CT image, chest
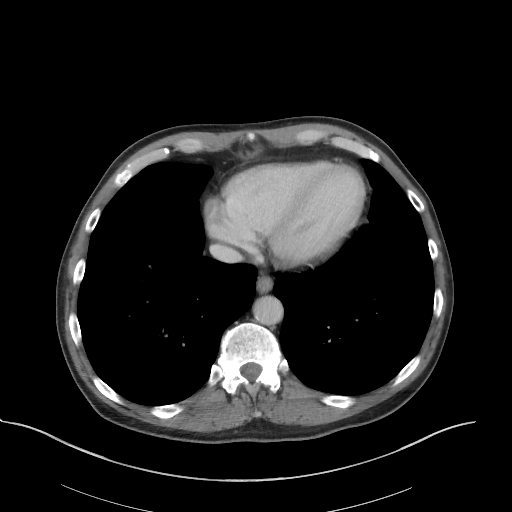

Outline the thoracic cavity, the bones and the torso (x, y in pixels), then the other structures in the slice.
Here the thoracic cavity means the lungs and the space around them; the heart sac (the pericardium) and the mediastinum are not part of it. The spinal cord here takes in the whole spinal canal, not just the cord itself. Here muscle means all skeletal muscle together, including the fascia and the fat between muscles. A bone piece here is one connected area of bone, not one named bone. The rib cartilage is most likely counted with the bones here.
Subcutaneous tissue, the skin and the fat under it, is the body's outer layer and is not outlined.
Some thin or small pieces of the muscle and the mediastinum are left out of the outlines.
{"thoracic_cavity":[[[161,161],[201,164],[211,168],[211,176],[198,197],[204,231],[201,255],[225,264],[251,265],[256,269],[256,277],[252,301],[224,330],[206,383],[179,402],[146,405],[121,396],[96,373],[83,345],[77,304],[91,234],[102,212],[131,178],[145,167]],[[364,159],[382,166],[419,214],[432,262],[432,315],[417,353],[389,381],[358,395],[326,393],[305,385],[293,373],[283,354],[278,338],[285,310],[282,301],[273,291],[277,280],[275,275],[299,273],[322,264],[358,229],[368,223],[373,188],[363,164]]],"bones":[{"outer":[[243,322],[255,323],[266,328],[278,340],[290,370],[280,374],[280,386],[276,392],[272,392],[267,385],[261,383],[248,388],[241,383],[236,388],[235,393],[230,394],[218,382],[212,386],[207,384],[211,366],[219,354],[223,334],[228,329]],"hole":[[250,362],[252,362],[253,363],[255,363],[256,364],[258,364],[261,367],[261,370],[260,371],[259,374],[252,381],[251,381],[250,380],[249,380],[247,378],[246,378],[241,373],[241,372],[240,371],[240,368],[243,365],[244,365],[247,363],[249,363]]},[[163,147],[168,147],[170,149],[170,153],[167,158],[160,161],[151,163],[145,166],[131,177],[128,181],[120,188],[118,188],[114,184],[114,178],[116,174],[121,172],[126,167],[129,162],[131,162],[136,158],[148,152],[150,152],[152,150],[162,148]],[[333,136],[340,136],[345,138],[349,138],[357,142],[359,142],[367,147],[371,148],[374,151],[378,153],[380,157],[379,162],[378,163],[368,158],[361,157],[359,155],[353,152],[351,152],[345,149],[342,149],[332,145],[331,144],[330,139],[331,137]],[[307,129],[317,129],[318,130],[323,130],[327,132],[327,136],[325,138],[323,138],[319,141],[314,142],[311,144],[308,144],[307,145],[300,144],[299,142],[295,138],[296,136],[296,134],[300,131],[302,131],[303,130],[306,130]],[[172,403],[178,403],[181,406],[183,407],[183,409],[182,411],[181,411],[179,413],[169,418],[160,418],[159,417],[157,417],[153,415],[150,412],[150,409],[152,407],[152,406],[155,406],[156,405],[165,405],[166,404],[171,404]],[[326,394],[334,394],[335,395],[348,395],[349,396],[352,396],[354,398],[354,400],[355,401],[353,404],[352,404],[350,406],[349,406],[346,408],[341,408],[340,407],[336,407],[335,406],[328,405],[321,401],[321,399],[322,398],[322,397]],[[183,138],[196,138],[197,139],[199,139],[201,140],[202,142],[202,144],[203,145],[203,147],[199,151],[197,151],[193,153],[185,153],[184,152],[182,152],[181,151],[176,150],[174,147],[174,144],[175,142]],[[94,375],[97,375],[111,388],[112,388],[121,397],[121,398],[122,399],[122,403],[121,404],[120,404],[119,403],[117,403],[116,402],[113,401],[111,399],[106,397],[102,393],[101,393],[99,391],[99,390],[95,386],[94,383],[92,381],[92,377]],[[417,354],[420,355],[420,361],[419,362],[418,365],[416,367],[416,368],[405,379],[404,379],[401,382],[400,382],[397,385],[396,385],[395,386],[393,386],[392,385],[392,383],[393,382],[393,378],[399,372],[399,371],[414,356],[415,356]],[[71,312],[74,312],[76,313],[77,317],[78,318],[79,325],[80,326],[80,330],[81,331],[81,340],[82,341],[82,343],[79,346],[75,345],[72,339],[72,337],[70,333],[70,330],[69,329],[69,324],[68,323],[68,320],[69,319],[69,314]],[[437,287],[440,288],[440,289],[442,292],[442,295],[443,296],[443,305],[442,306],[442,309],[441,310],[441,313],[440,314],[440,315],[438,317],[435,317],[434,316],[433,316],[433,296],[434,295],[434,291],[435,290],[435,288],[436,288]],[[81,258],[83,258],[85,260],[85,262],[86,263],[85,265],[85,271],[84,272],[84,275],[83,276],[83,278],[80,284],[79,285],[77,285],[73,283],[73,272],[74,271],[74,268],[75,267],[75,265],[76,263],[78,261],[78,260]],[[97,207],[100,208],[100,209],[101,210],[101,213],[100,214],[99,219],[98,220],[98,221],[97,222],[94,229],[91,232],[91,233],[89,233],[88,232],[87,232],[85,230],[85,225],[86,224],[87,219],[88,218],[88,217],[90,215],[91,212]],[[408,188],[409,189],[412,190],[418,196],[418,197],[421,200],[421,201],[424,205],[424,209],[420,213],[419,213],[415,209],[415,208],[412,205],[412,204],[410,202],[410,201],[407,197],[407,195],[406,194],[406,190]],[[428,238],[431,238],[433,239],[433,240],[435,242],[437,246],[437,249],[438,250],[438,253],[437,254],[437,256],[436,258],[433,261],[432,261],[430,257],[430,254],[429,253],[429,250],[428,249],[428,245],[427,244],[427,239]]],"torso":[[[302,115],[343,118],[379,136],[397,154],[433,204],[451,262],[454,303],[447,336],[430,376],[406,403],[383,419],[305,441],[182,442],[136,433],[106,420],[92,408],[73,380],[55,323],[55,286],[60,260],[74,223],[101,176],[126,147],[163,128]]],"muscle":[{"outer":[[305,122],[319,122],[320,123],[329,123],[337,125],[356,133],[364,139],[374,144],[380,148],[402,171],[406,177],[420,192],[426,202],[429,213],[441,243],[441,250],[443,254],[444,264],[446,269],[447,303],[446,304],[446,311],[444,316],[443,325],[439,339],[437,342],[434,353],[423,371],[406,387],[396,392],[387,399],[373,406],[371,406],[360,411],[358,413],[342,419],[339,419],[324,424],[309,425],[308,426],[304,426],[299,424],[297,425],[277,424],[262,418],[254,418],[252,420],[246,422],[243,425],[219,431],[213,431],[212,432],[188,431],[183,429],[168,428],[164,426],[159,426],[142,421],[134,417],[125,415],[101,401],[95,396],[80,377],[75,368],[69,353],[64,334],[64,302],[65,301],[65,289],[68,284],[68,281],[66,279],[66,271],[67,270],[68,259],[71,255],[70,250],[76,239],[76,236],[81,222],[85,214],[89,209],[94,198],[102,186],[121,163],[129,156],[145,145],[167,135],[184,131],[223,132],[224,131],[233,131],[247,128],[277,128],[282,126],[293,125]],"hole":[[307,129],[327,132],[319,141],[325,144],[331,144],[331,137],[340,136],[371,148],[380,157],[378,163],[401,189],[405,193],[408,188],[412,190],[424,205],[419,216],[426,237],[433,239],[437,246],[438,253],[432,262],[433,282],[442,292],[443,305],[438,317],[431,316],[417,352],[420,361],[416,368],[395,386],[392,378],[377,388],[353,395],[354,403],[346,408],[322,402],[326,393],[305,385],[291,370],[280,374],[276,392],[261,383],[248,388],[241,383],[235,393],[230,394],[218,382],[212,386],[205,383],[180,401],[182,411],[169,418],[153,415],[151,405],[122,396],[120,404],[106,397],[92,381],[97,374],[83,344],[75,345],[68,320],[71,312],[77,312],[80,288],[73,283],[74,268],[79,259],[86,260],[88,255],[91,234],[85,230],[85,225],[91,212],[97,207],[102,212],[119,190],[114,184],[116,174],[129,162],[152,150],[168,147],[170,156],[177,153],[174,144],[183,138],[201,140],[200,152],[218,152],[226,150],[239,135],[251,131],[275,146],[289,147],[299,145],[296,134]]}],"spinal_cord":[[[250,362],[252,362],[253,363],[255,363],[256,364],[258,364],[261,367],[261,370],[260,371],[259,374],[252,381],[251,381],[250,380],[249,380],[247,378],[246,378],[241,373],[241,372],[240,371],[240,368],[243,365],[244,365],[247,363],[249,363]]],"pericardium":[[[301,156],[341,156],[347,158],[359,167],[369,185],[367,209],[365,212],[366,221],[354,229],[333,254],[313,267],[284,271],[271,266],[256,265],[248,260],[246,254],[239,247],[225,241],[208,238],[202,217],[202,198],[216,183],[221,173],[254,160]]],"mediastinum":[[[246,131],[260,134],[278,147],[323,142],[363,158],[362,164],[372,188],[367,223],[362,225],[367,221],[370,185],[360,167],[341,155],[260,158],[227,169],[201,198],[201,216],[199,197],[212,176],[212,168],[201,163],[164,160],[178,152],[226,150]],[[205,231],[209,240],[225,242],[239,248],[247,260],[256,266],[271,267],[275,270],[284,272],[313,268],[299,272],[275,273],[272,291],[281,301],[284,310],[278,337],[266,327],[251,321],[240,322],[225,331],[250,307],[255,295],[257,269],[248,263],[225,263],[202,255]],[[356,229],[357,229],[352,234],[352,235],[350,237],[350,238],[349,238],[348,239],[347,239],[346,240],[346,239],[347,239],[351,235],[351,234],[352,233],[352,232],[353,232],[354,231],[354,230],[355,230]]]}